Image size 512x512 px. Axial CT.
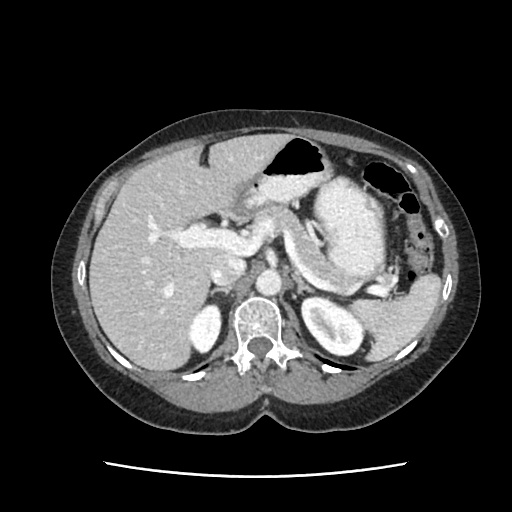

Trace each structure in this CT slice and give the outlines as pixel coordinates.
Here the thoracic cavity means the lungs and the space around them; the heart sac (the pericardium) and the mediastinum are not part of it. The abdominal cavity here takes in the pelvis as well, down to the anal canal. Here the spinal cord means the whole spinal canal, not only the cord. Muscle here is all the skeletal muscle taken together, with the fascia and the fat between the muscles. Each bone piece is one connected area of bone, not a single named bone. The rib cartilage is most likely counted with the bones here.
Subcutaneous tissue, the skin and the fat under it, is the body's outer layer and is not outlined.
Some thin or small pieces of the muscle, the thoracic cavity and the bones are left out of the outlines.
bones 1: 240,375 243,375 253,365 264,370 271,361 285,370 289,359 302,357 303,355 297,350 288,348 282,342 280,309 271,299 264,296 251,295 237,306 234,312 233,327 238,347 234,354 224,360 231,360 237,366, around a hole outlined by 259,357 261,357 262,356 263,356 264,355 264,354 271,347 271,343 268,340 267,340 264,338 257,338 256,339 254,339 253,340 252,340 249,344 249,349 252,352 255,353 257,355 257,356 258,356
bones 2: 95,223 99,223 102,219 102,217 104,214 104,205 105,202 111,194 111,192 113,189 113,186 115,184 115,181 112,181 105,188 96,204 96,208 94,212 95,213 95,216 94,217 94,221
bones 3: 129,370 138,370 138,369 134,366 133,366 127,360 126,360 122,356 121,356 107,342 106,342 106,347 109,351 109,352 112,355 112,356 120,364 121,364 124,367 125,367
bones 4: 442,240 444,240 447,238 447,237 449,235 449,231 448,230 448,228 447,227 446,224 444,222 444,221 439,216 437,216 437,217 434,221 434,228 437,232 437,233 440,236 440,237 442,239
bones 5: 82,289 84,289 84,288 85,287 85,276 86,275 86,263 83,260 81,260 79,262 79,264 78,265 78,268 77,269 77,280 78,281 78,284 80,286 80,287
bones 6: 393,361 397,361 398,360 399,360 400,359 401,359 402,358 405,357 417,345 417,344 418,343 418,340 417,339 414,340 407,347 406,347 403,350 402,350 398,354 397,354 394,357 394,359 393,360
bones 7: 445,301 448,298 448,296 449,295 449,294 450,293 450,291 451,290 451,275 450,274 447,274 447,275 446,276 446,278 445,279 445,280 444,281 444,285 443,286 443,289 442,290 442,299 443,299
bones 8: 414,175 416,175 417,174 417,170 412,165 411,165 410,164 409,164 408,163 405,163 404,164 404,165 406,167 406,168 412,174 413,174
thoracic cavity: 346,370 351,370 352,369 359,369 353,366 349,366 348,365 344,365 343,364 339,364 338,363 335,363 333,361 327,358 325,358 323,356 318,355 315,353 311,353 315,356 318,357 321,361 329,365 338,366
torso: 197,435 239,433 265,415 285,428 309,433 362,428 415,398 462,348 481,301 477,244 459,200 416,149 331,113 222,109 186,117 154,132 89,184 67,217 51,260 50,290 59,332 92,383 123,411 156,428
spinal cord: 259,357 261,357 262,356 263,356 264,355 264,354 271,347 271,343 268,340 267,340 264,338 257,338 256,339 254,339 253,340 252,340 249,344 249,349 252,352 255,353 257,355 257,356 258,356
abdominal cavity: 162,377 212,363 223,351 235,307 251,294 271,298 281,309 282,330 293,329 306,349 335,362 373,366 417,338 441,297 443,253 401,168 383,157 261,130 184,149 131,176 93,238 86,285 106,340 139,369
muscle: 206,414 237,411 253,403 262,395 265,394 271,395 279,400 291,404 313,405 314,404 335,403 342,400 348,399 362,392 384,376 388,375 392,372 396,371 413,362 420,355 428,350 431,343 431,340 434,337 435,332 443,321 446,315 446,312 449,308 449,305 454,298 458,282 459,265 458,264 458,250 457,249 456,234 453,225 438,196 430,176 421,165 415,160 406,157 390,148 380,145 375,142 349,134 343,134 338,132 318,130 304,127 284,128 283,127 273,127 272,126 264,126 263,125 260,126 252,125 247,127 241,127 225,131 218,131 213,133 199,135 195,137 190,137 174,141 165,145 151,149 114,172 103,182 94,195 83,222 83,225 78,236 76,251 72,265 72,272 71,273 72,289 74,297 77,302 77,307 81,316 82,323 98,355 106,364 114,368 132,380 148,388 171,404 190,411 199,413 205,413, around holes outlined by 188,381 204,376 232,327 238,347 224,360 240,375 253,365 264,370 271,361 285,370 289,359 302,357 282,342 288,328 330,373 405,357 451,290 451,275 444,281 442,276 446,224 439,216 431,220 415,187 386,158 284,131 243,133 156,160 130,177 105,213 112,181 96,204 94,221 101,224 88,261 79,262 78,284 87,286 106,347 120,364 and by 414,175 416,175 417,174 417,170 412,165 411,165 410,164 409,164 408,163 405,163 404,164 404,165 406,167 406,168 412,174 413,174